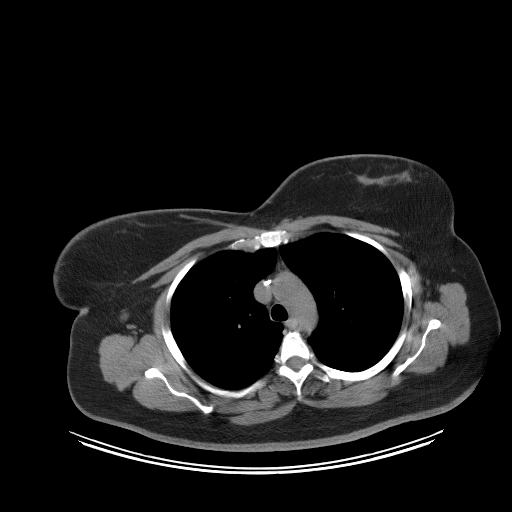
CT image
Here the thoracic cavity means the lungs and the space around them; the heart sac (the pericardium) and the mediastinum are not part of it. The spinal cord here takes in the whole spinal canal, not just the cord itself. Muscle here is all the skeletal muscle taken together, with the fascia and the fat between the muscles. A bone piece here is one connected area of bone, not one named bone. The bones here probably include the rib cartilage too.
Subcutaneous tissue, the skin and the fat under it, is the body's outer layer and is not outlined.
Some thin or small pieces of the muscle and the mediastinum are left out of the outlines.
Outlined structures:
muscle 1: (320, 214) (359, 219) (397, 232) (398, 235) (393, 238) (401, 245) (401, 252) (415, 264) (421, 276) (424, 298) (437, 300) (439, 293) (436, 287) (442, 283) (458, 282) (463, 286) (470, 318) (469, 339) (465, 344) (451, 347) (442, 366) (431, 373) (412, 374) (371, 404) (334, 408) (298, 404) (283, 417) (251, 425) (231, 423) (221, 414) (150, 409) (104, 380) (99, 367) (101, 339) (113, 333) (140, 337) (152, 331) (152, 307) (159, 290) (150, 287) (153, 277) (136, 283) (132, 281) (187, 242) (230, 225) (267, 230) (251, 238) (235, 239) (223, 249) (199, 260) (193, 256) (177, 271) (165, 295) (170, 326) (161, 325) (162, 338) (174, 360) (199, 387) (217, 396) (243, 398) (266, 385) (267, 378) (262, 377) (273, 367) (276, 375) (292, 382) (296, 398) (301, 402) (303, 383) (316, 369) (319, 372) (315, 376) (324, 383) (331, 380) (362, 381) (383, 370) (394, 359) (408, 335) (407, 328) (401, 329) (401, 325) (404, 310) (409, 312) (413, 305) (412, 278) (403, 267) (396, 270) (385, 247) (363, 233) (316, 231) (296, 236) (285, 229) (270, 229) (286, 217) (295, 219), around holes outlined by (150, 367) (157, 367) (164, 375) (169, 384) (175, 390) (187, 393) (189, 395) (195, 397) (204, 405) (208, 406) (211, 405) (213, 407) (213, 410) (209, 413) (204, 413) (188, 398) (173, 394) (168, 389) (164, 381) (159, 377) (146, 378) (144, 375) (144, 372) and by (433, 318) (438, 319) (440, 321) (441, 323) (440, 326) (428, 332) (425, 338) (424, 347) (420, 353) (395, 379) (393, 379) (391, 376) (391, 373) (398, 365) (401, 364) (408, 357) (413, 355) (417, 351) (420, 346) (421, 339) (427, 327) (428, 322) (430, 319)
muscle 2: (190, 367) (193, 370) (193, 371) (194, 372) (195, 372) (195, 373) (196, 374) (197, 374) (202, 379) (203, 379) (204, 380) (203, 380) (202, 379) (201, 379) (200, 378) (199, 378) (195, 374) (194, 374) (193, 373) (193, 372) (192, 371) (192, 370) (190, 368)
thoracic cavity 1: (261, 248) (276, 248) (275, 264) (265, 277) (256, 282) (252, 293) (254, 299) (265, 307) (269, 319) (282, 326) (281, 341) (273, 356) (272, 367) (260, 378) (240, 389) (220, 388) (196, 373) (178, 346) (170, 322) (172, 297) (181, 280) (198, 261) (224, 249) (255, 252)
thoracic cavity 2: (316, 232) (333, 232) (344, 234) (370, 245) (389, 260) (397, 273) (403, 300) (403, 314) (400, 329) (397, 337) (386, 353) (377, 362) (365, 369) (359, 371) (347, 371) (329, 366) (317, 358) (307, 342) (319, 322) (318, 307) (308, 286) (285, 263) (279, 251) (279, 246)
spinal cord: (294, 356) (297, 356) (298, 357) (300, 357) (301, 358) (302, 358) (304, 360) (304, 363) (300, 367) (300, 368) (297, 370) (295, 370) (294, 369) (291, 368) (289, 366) (288, 366) (287, 365) (287, 361) (288, 360) (288, 359) (289, 359) (291, 357) (293, 357)
torso: (350, 153) (418, 160) (451, 189) (455, 231) (476, 254) (501, 321) (487, 363) (463, 401) (444, 413) (353, 441) (267, 452) (165, 443) (96, 421) (76, 407) (66, 365) (78, 312) (63, 306) (52, 286) (56, 258) (76, 232) (99, 219) (143, 209) (249, 211) (297, 167)
bones 1: (403, 328) (406, 328) (407, 335) (393, 359) (366, 379) (351, 382) (331, 379) (324, 382) (316, 376) (320, 372) (316, 368) (303, 381) (302, 399) (299, 401) (293, 382) (274, 372) (274, 356) (283, 335) (289, 331) (298, 331) (321, 363) (342, 371) (359, 372) (377, 363); inner edge: (294, 356) (297, 356) (298, 357) (300, 357) (301, 358) (302, 358) (304, 360) (304, 363) (300, 367) (300, 368) (297, 370) (295, 370) (294, 369) (291, 368) (289, 366) (288, 366) (287, 365) (287, 361) (288, 360) (288, 359) (289, 359) (291, 357) (293, 357)
bones 2: (162, 325) (168, 325) (170, 327) (174, 340) (189, 368) (192, 373) (199, 379) (220, 389) (231, 390) (232, 391) (243, 389) (261, 378) (266, 378) (265, 385) (256, 391) (239, 398) (225, 397) (217, 395) (203, 389) (180, 366) (171, 354) (162, 335) (161, 331)
bones 3: (268, 230) (285, 230) (287, 232) (291, 232) (293, 233) (296, 237) (285, 244) (282, 243) (276, 247) (261, 247) (255, 251) (246, 251) (242, 249) (225, 249) (229, 244) (235, 240) (237, 240) (240, 238) (243, 238) (244, 239) (251, 239) (254, 236) (259, 235) (262, 232)
bones 4: (150, 367) (157, 367) (164, 375) (169, 384) (175, 390) (187, 393) (189, 395) (195, 397) (204, 405) (208, 406) (211, 405) (213, 407) (213, 410) (209, 413) (204, 413) (188, 398) (173, 394) (168, 389) (164, 381) (159, 377) (146, 378) (144, 375) (144, 372)
bones 5: (433, 318) (438, 319) (440, 321) (441, 323) (440, 326) (428, 332) (425, 338) (424, 347) (420, 353) (395, 379) (393, 379) (391, 376) (391, 373) (398, 365) (401, 364) (408, 357) (413, 355) (417, 351) (420, 346) (421, 339) (427, 327) (428, 322) (430, 319)
bones 6: (398, 268) (403, 268) (408, 273) (412, 281) (412, 287) (411, 288) (412, 289) (412, 295) (411, 296) (412, 299) (412, 305) (411, 306) (411, 309) (409, 311) (404, 309) (404, 300) (403, 299) (403, 294) (402, 293) (402, 287) (397, 272) (397, 269)
bones 7: (193, 257) (196, 257) (197, 258) (197, 261) (188, 270) (188, 271) (180, 280) (171, 297) (171, 300) (170, 301) (169, 305) (167, 305) (166, 304) (166, 295) (167, 294) (169, 286) (171, 284) (172, 281) (174, 279) (178, 271) (190, 259) (191, 259)
bones 8: (344, 231) (351, 231) (352, 232) (356, 232) (360, 234) (363, 234) (375, 240) (384, 247) (384, 248) (390, 256) (392, 261) (390, 261) (390, 260) (383, 253) (382, 253) (375, 247) (359, 239) (357, 239) (354, 237) (352, 237) (351, 236) (349, 236) (345, 234) (343, 232)
mediastinum: (277, 247) (284, 263) (307, 286) (314, 298) (317, 307) (318, 322) (315, 329) (307, 338) (307, 341) (303, 338) (298, 330) (289, 330) (283, 334) (283, 326) (278, 322) (272, 321) (268, 315) (266, 307) (257, 301) (254, 297) (254, 286) (257, 282) (265, 278) (275, 267)